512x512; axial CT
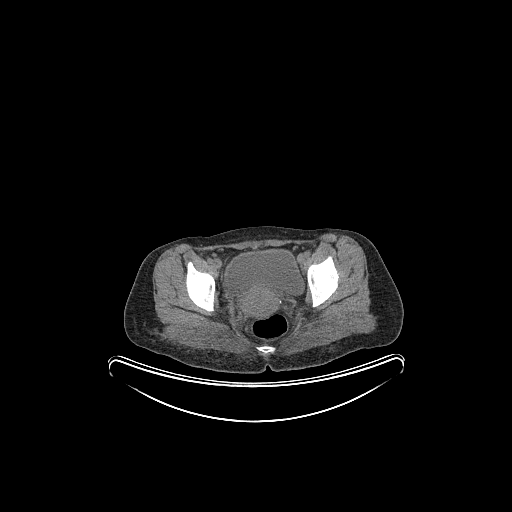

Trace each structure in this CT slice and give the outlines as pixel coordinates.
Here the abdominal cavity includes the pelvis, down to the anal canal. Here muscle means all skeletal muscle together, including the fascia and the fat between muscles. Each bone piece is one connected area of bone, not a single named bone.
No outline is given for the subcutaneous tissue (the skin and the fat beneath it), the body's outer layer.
Outlines:
muscle: 325,233 347,235 363,249 369,274 370,303 377,322 372,332 354,334 287,356 271,355 267,359 261,356 244,358 217,351 188,351 162,339 162,326 154,309 152,273 165,250 182,243 207,246 260,239 313,239; inner edge: 288,244 307,246 297,255 299,268 304,275 309,265 321,262 331,255 338,273 338,284 335,291 315,307 312,307 310,290 306,290 289,333 274,345 273,353 263,353 256,349 258,345 242,332 232,316 221,306 218,290 214,294 214,309 211,312 197,306 189,297 185,282 188,261 197,270 210,273 216,281 221,271 221,263 208,252 226,248 256,249
bones 1: 329,255 331,255 332,259 334,262 334,265 338,273 338,284 335,291 325,301 315,307 312,307 311,292 308,288 308,285 307,284 307,276 306,275 307,273 307,269 309,265 313,263 318,263 319,262 321,262
bones 2: 188,261 191,261 194,267 197,270 210,273 213,276 215,280 214,309 213,311 211,312 207,311 197,306 191,300 188,295 188,293 186,289 186,283 185,282 186,280 186,273 187,272 187,267 186,266
bones 3: 260,345 271,345 272,346 274,346 275,347 275,351 273,353 271,353 270,352 268,352 267,353 263,353 262,352 261,352 260,351 258,351 256,349 256,346 259,346
abdominal cavity: 288,244 307,246 297,255 299,268 306,276 307,289 305,297 289,333 274,345 258,345 242,332 232,316 228,315 221,306 219,301 220,292 216,290 216,281 221,271 221,263 208,252 222,251 226,248 256,249
torso: 264,225 301,229 340,228 367,237 378,250 403,304 403,325 392,343 359,349 320,366 278,372 267,367 261,373 247,374 192,367 139,347 128,339 123,326 124,306 139,266 150,251 187,236 209,236 236,228